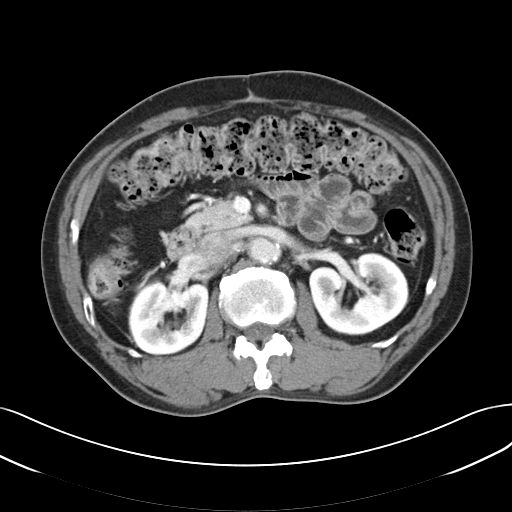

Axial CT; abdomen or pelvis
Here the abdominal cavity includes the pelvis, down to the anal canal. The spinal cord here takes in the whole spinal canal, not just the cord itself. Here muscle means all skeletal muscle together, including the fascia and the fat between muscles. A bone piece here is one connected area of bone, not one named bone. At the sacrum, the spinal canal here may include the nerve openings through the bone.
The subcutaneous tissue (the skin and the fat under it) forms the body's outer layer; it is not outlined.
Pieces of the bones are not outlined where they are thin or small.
{"bones":[{"outer":[[250,266],[285,273],[294,289],[296,300],[292,318],[279,327],[279,331],[292,346],[291,354],[271,355],[268,358],[266,367],[272,383],[262,390],[257,389],[254,383],[254,359],[250,356],[236,359],[233,356],[239,330],[224,319],[218,306],[222,277]],"hole":[[256,322],[260,322],[261,323],[263,323],[267,325],[270,325],[271,326],[273,326],[275,330],[272,333],[269,339],[268,339],[266,341],[261,341],[260,342],[252,342],[248,340],[246,336],[243,333],[243,330],[246,327]]},[[79,203],[80,203],[80,209],[79,210],[78,220],[79,221],[80,228],[79,229],[79,235],[77,240],[77,244],[76,245],[74,245],[71,243],[71,241],[70,240],[70,236],[69,235],[69,233],[70,232],[70,221],[73,217],[75,213],[76,208]],[[84,291],[87,292],[87,293],[91,298],[91,301],[92,302],[92,306],[93,307],[93,313],[94,314],[94,320],[95,321],[95,326],[94,327],[93,327],[88,322],[85,316],[85,313],[84,312],[84,308],[83,307],[83,294],[84,293]],[[396,333],[398,333],[398,336],[397,337],[397,338],[392,343],[391,343],[388,346],[387,346],[384,348],[380,348],[379,347],[372,347],[371,346],[371,345],[373,343],[374,343],[375,342],[378,342],[381,340],[384,340],[385,339],[387,339]]],"spinal_cord":[[[256,322],[260,322],[261,323],[263,323],[267,325],[270,325],[271,326],[273,326],[275,330],[272,333],[269,339],[268,339],[266,341],[261,341],[260,342],[252,342],[248,340],[246,336],[243,333],[243,330],[246,327]]],"muscle":[{"outer":[[248,96],[258,96],[270,99],[281,98],[292,100],[304,100],[333,106],[350,108],[366,114],[374,122],[376,122],[379,125],[391,129],[417,143],[425,151],[439,170],[451,199],[453,208],[453,215],[454,216],[454,233],[455,234],[453,269],[447,290],[444,296],[440,300],[439,305],[434,311],[433,319],[430,326],[419,338],[413,347],[396,362],[375,384],[369,388],[355,394],[343,395],[338,397],[335,396],[318,396],[296,391],[286,391],[282,389],[275,389],[269,391],[252,390],[217,401],[214,401],[211,402],[208,405],[203,405],[196,408],[179,407],[153,397],[132,384],[120,375],[103,359],[100,355],[99,350],[94,343],[94,339],[85,330],[83,326],[75,317],[65,296],[64,287],[62,284],[61,275],[59,270],[59,265],[58,264],[58,221],[63,209],[65,195],[72,180],[77,174],[82,165],[89,160],[102,147],[115,141],[123,134],[129,132],[137,124],[150,117],[170,109],[177,108],[181,106],[190,106],[191,105],[196,105],[197,106],[199,105],[212,105],[220,103],[223,101],[239,99]],"hole":[[242,103],[326,113],[383,137],[411,167],[434,239],[435,287],[384,348],[323,333],[308,288],[298,279],[293,285],[294,314],[279,327],[292,351],[268,358],[272,383],[262,390],[254,383],[254,359],[236,359],[232,354],[239,330],[222,316],[216,285],[200,339],[181,353],[134,357],[95,317],[93,327],[83,307],[86,289],[78,245],[69,235],[78,204],[82,225],[107,166],[125,148],[174,123]]}],"torso":[[[268,70],[311,71],[349,83],[401,113],[433,142],[458,180],[471,221],[472,276],[465,309],[451,333],[403,382],[370,401],[332,404],[258,397],[192,417],[138,406],[78,357],[53,322],[40,266],[42,226],[50,198],[82,147],[142,99],[190,79]]],"abdominal_cavity":[[[242,103],[349,120],[387,140],[411,167],[433,226],[433,263],[421,304],[389,337],[352,344],[323,333],[306,284],[298,279],[293,286],[285,272],[255,265],[221,277],[200,339],[181,353],[143,355],[112,339],[96,319],[78,240],[107,166],[158,130]]]}